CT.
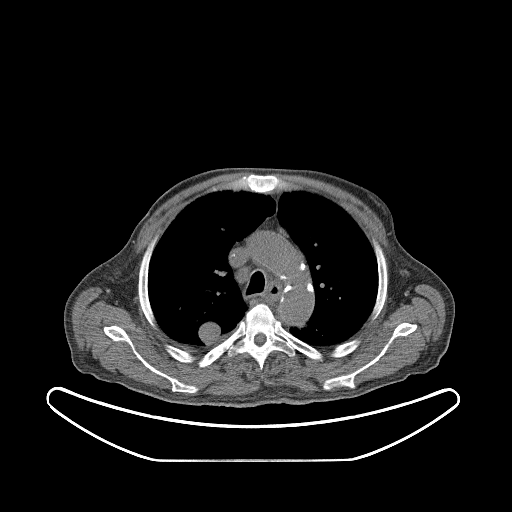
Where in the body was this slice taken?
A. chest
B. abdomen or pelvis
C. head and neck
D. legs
Answer: A. chest
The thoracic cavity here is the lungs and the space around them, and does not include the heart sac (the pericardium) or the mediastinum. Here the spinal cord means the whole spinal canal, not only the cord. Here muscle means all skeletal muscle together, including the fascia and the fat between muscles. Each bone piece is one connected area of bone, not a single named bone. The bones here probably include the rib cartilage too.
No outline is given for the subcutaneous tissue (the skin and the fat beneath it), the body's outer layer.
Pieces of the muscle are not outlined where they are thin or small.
The muscle appears in 3 outlined pieces: piece 1: 418 284; 432 286; 443 298; 445 321; 439 338; 412 364; 356 387; 356 375; 377 362; 397 337; 405 337; 416 330; 416 323; 402 321; 373 358; 351 372; 326 378; 321 385; 324 390; 312 393; 287 385; 262 385; 244 395; 194 394; 199 390; 196 385; 183 382; 149 363; 128 333; 116 324; 104 325; 103 332; 114 342; 126 342; 146 368; 168 380; 171 391; 159 388; 118 371; 112 372; 81 351; 71 321; 76 298; 92 286; 103 290; 108 303; 123 307; 134 316; 137 306; 133 299; 137 289; 139 305; 148 323; 154 329; 157 324; 173 341; 173 345; 165 343; 163 346; 173 359; 192 363; 196 360; 194 352; 200 353; 203 354; 196 363; 204 368; 223 354; 232 358; 247 353; 262 370; 273 351; 289 357; 299 352; 317 361; 324 359; 318 349; 321 347; 331 347; 329 355; 332 358; 350 354; 361 343; 359 337; 350 339; 369 317; 371 321; 378 317; 387 294; 391 299; 387 311; 390 313; 401 303; 411 301; 415 294; 413 289; piece 2: 274 173; 302 175; 323 180; 350 192; 364 202; 381 220; 385 229; 386 238; 389 243; 389 251; 387 254; 389 260; 389 277; 387 260; 381 245; 373 237; 370 242; 356 221; 341 206; 318 193; 304 189; 298 184; 282 179; 273 174; piece 3: 244 171; 251 173; 247 175; 243 175; 241 177; 211 186; 203 194; 190 201; 175 216; 160 237; 158 233; 153 236; 146 246; 139 262; 137 287; 135 271; 139 256; 135 252; 136 241; 141 228; 158 207; 181 190; 198 182; 221 174. The spinal cord is outlined by 259 333; 262 333; 265 336; 265 340; 264 341; 264 342; 262 344; 261 344; 260 345; 258 345; 256 343; 255 343; 255 342; 254 341; 254 338; 255 337; 255 336; 257 334; 258 334. The thoracic cavity appears in 2 outlined pieces: piece 1: 227 190; 265 194; 274 201; 275 207; 273 213; 265 217; 252 231; 236 240; 227 253; 232 278; 246 306; 243 317; 229 336; 221 342; 204 353; 192 353; 174 345; 174 341; 157 323; 148 293; 150 261; 168 226; 190 202; 204 194; piece 2: 300 190; 318 194; 341 207; 359 226; 371 244; 375 256; 377 290; 370 314; 348 340; 332 347; 321 346; 317 348; 287 330; 290 328; 300 330; 305 328; 312 315; 315 304; 312 276; 306 256; 278 218; 278 203; 281 195; 284 192. The torso is outlined by 224 167; 317 170; 347 179; 377 194; 392 213; 395 234; 401 245; 434 271; 452 293; 453 327; 449 345; 438 365; 353 398; 253 407; 167 402; 77 370; 71 360; 63 323; 69 294; 89 271; 123 247; 139 220; 167 189; 194 174. The mediastinum is outlined by 276 190; 283 192; 277 203; 277 218; 305 256; 311 276; 314 294; 313 310; 306 326; 300 329; 296 327; 286 329; 276 318; 271 308; 264 302; 258 302; 247 310; 227 258; 236 241; 247 236; 265 218; 274 213; 275 201; 266 194. The bones appear in 8 outlined pieces: piece 1: 258 303; 266 304; 287 331; 319 350; 323 359; 313 359; 299 351; 294 356; 289 356; 282 351; 273 350; 268 354; 262 369; 260 369; 257 361; 247 352; 232 357; 227 357; 223 353; 207 366; 199 367; 197 361; 229 337; 246 312; inner edge: 259 333; 262 333; 265 336; 265 340; 264 341; 264 342; 262 344; 261 344; 260 345; 258 345; 256 343; 255 343; 255 342; 254 341; 254 338; 255 337; 255 336; 257 334; 258 334; piece 2: 252 173; 255 174; 272 174; 282 180; 298 185; 303 189; 292 190; 291 191; 283 191; 276 189; 269 193; 258 193; 247 190; 234 191; 227 189; 226 190; 218 190; 205 193; 207 190; 213 186; 229 182; 241 178; 243 176; 247 176; piece 3: 402 322; 416 324; 417 327; 415 330; 405 336; 397 336; 389 345; 384 354; 377 361; 356 374; 354 377; 354 388; 347 386; 339 386; 334 387; 330 390; 325 390; 322 387; 326 379; 351 373; 373 359; 381 351; 392 335; 394 329; piece 4: 111 325; 119 326; 127 333; 136 350; 149 364; 156 369; 183 383; 196 386; 198 388; 198 390; 193 394; 188 392; 172 391; 170 381; 165 377; 153 372; 146 367; 137 358; 131 347; 126 341; 122 340; 114 341; 104 332; 103 327; piece 5: 156 234; 159 235; 159 238; 152 251; 149 261; 148 273; 147 274; 147 293; 148 294; 149 303; 156 321; 156 328; 154 328; 147 320; 140 305; 139 296; 138 295; 138 273; 139 272; 139 267; 140 266; 140 262; 142 256; 147 246; piece 6: 373 238; 377 241; 383 250; 387 265; 388 282; 387 283; 387 293; 383 306; 377 317; 375 319; 371 320; 370 315; 376 300; 377 291; 378 290; 378 269; 377 268; 377 261; 376 260; 376 256; 374 252; 374 249; 371 243; 371 240; piece 7: 354 338; 359 338; 360 339; 360 343; 359 345; 353 351; 352 351; 350 353; 346 355; 344 355; 340 357; 332 357; 330 355; 330 352; 332 348; 334 346; 338 344; 343 343; 346 341; 351 340; piece 8: 165 344; 170 344; 175 347; 177 347; 182 350; 184 350; 185 351; 187 351; 188 352; 191 353; 195 357; 195 360; 192 362; 182 362; 181 361; 179 361; 178 360; 173 358; 166 351; 166 350; 165 349; 165 347; 164 346; 165 345.